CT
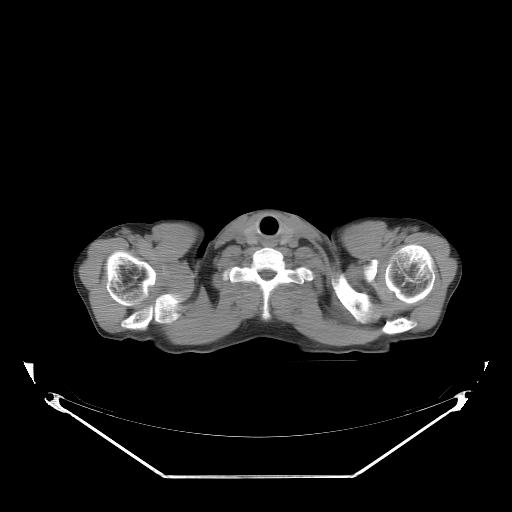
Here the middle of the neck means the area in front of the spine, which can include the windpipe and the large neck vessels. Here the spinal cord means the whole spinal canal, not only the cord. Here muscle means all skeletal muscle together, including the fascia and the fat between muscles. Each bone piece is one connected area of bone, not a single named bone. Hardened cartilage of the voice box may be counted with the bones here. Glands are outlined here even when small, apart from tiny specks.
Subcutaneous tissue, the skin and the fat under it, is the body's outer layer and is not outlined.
thyroid glands 1: (253, 222) (253, 225) (254, 226) (254, 235) (256, 237) (256, 238) (257, 239) (257, 241) (255, 243) (249, 243) (247, 241) (247, 240) (246, 239) (246, 238) (243, 233) (243, 230) (244, 229) (244, 228) (245, 228) (248, 225) (249, 225) (251, 223) (252, 223)
thyroid glands 2: (284, 223) (285, 223) (286, 224) (289, 225) (293, 229) (293, 230) (294, 231) (294, 233) (293, 234) (292, 237) (288, 241) (287, 241) (285, 243) (281, 243) (280, 240) (281, 239) (281, 236) (282, 235) (282, 233) (283, 232) (283, 224)
left arm: (397, 217) (412, 217) (424, 220) (430, 223) (437, 228) (456, 247) (461, 256) (462, 260) (462, 276) (460, 282) (449, 301) (443, 321) (434, 335) (426, 329) (424, 329) (417, 325) (403, 314) (386, 293) (377, 271) (376, 255) (378, 251) (379, 245) (383, 238) (383, 236)
spinal cord: (264, 269) (269, 269) (270, 270) (272, 270) (273, 271) (274, 271) (275, 272) (275, 274) (274, 275) (274, 276) (273, 277) (272, 277) (269, 279) (264, 279) (263, 278) (262, 278) (261, 277) (261, 276) (259, 274) (259, 271) (260, 271) (261, 270) (263, 270)
muscle: (264, 210) (295, 216) (335, 242) (344, 226) (365, 220) (414, 223) (440, 236) (456, 259) (457, 270) (437, 321) (426, 330) (412, 332) (408, 331) (418, 323) (397, 316) (386, 319) (380, 328) (389, 335) (344, 346) (312, 340) (287, 322) (256, 317) (206, 344) (173, 344) (151, 329) (118, 333) (104, 330) (78, 274) (94, 241) (127, 226) (139, 230) (163, 222) (185, 222) (200, 231) (189, 253) (192, 265) (208, 256) (214, 242) (234, 221) with holes at (265, 214) (273, 214) (299, 236) (297, 248) (277, 249) (285, 261) (293, 268) (304, 266) (314, 275) (302, 284) (289, 282) (274, 288) (268, 299) (268, 320) (261, 318) (263, 295) (256, 283) (222, 278) (225, 269) (251, 261) (252, 254) (259, 248) (243, 249) (234, 238) and at (408, 244) (420, 245) (424, 247) (429, 252) (433, 259) (434, 272) (435, 273) (435, 279) (433, 283) (433, 286) (429, 293) (422, 299) (413, 303) (406, 303) (398, 299) (395, 296) (394, 293) (387, 288) (385, 284) (385, 277) (384, 276) (385, 269) (390, 258) (399, 248) and at (116, 250) (129, 251) (134, 256) (138, 257) (141, 260) (147, 262) (154, 269) (156, 273) (155, 283) (153, 285) (151, 285) (148, 287) (148, 295) (147, 297) (139, 303) (133, 306) (126, 306) (120, 304) (110, 296) (106, 288) (106, 272) (105, 271) (106, 260) (108, 256) and at (165, 293) (177, 294) (184, 298) (184, 300) (181, 303) (184, 307) (180, 312) (180, 315) (175, 320) (170, 323) (158, 323) (154, 319) (152, 319) (149, 322) (147, 328) (144, 330) (128, 329) (121, 326) (122, 320) (134, 311) (142, 309) (149, 305) (152, 305) (158, 296) and at (339, 273) (342, 273) (344, 275) (348, 283) (356, 291) (358, 292) (364, 292) (369, 295) (370, 300) (373, 305) (373, 311) (376, 314) (379, 315) (379, 317) (377, 320) (367, 323) (361, 323) (357, 321) (350, 312) (341, 303) (337, 297) (331, 283) (332, 276) (335, 277) and at (371, 259) (376, 259) (378, 261) (378, 263) (377, 264) (377, 272) (376, 273) (376, 274) (375, 275) (375, 277) (373, 280) (373, 282) (374, 283) (374, 285) (373, 285) (371, 283) (369, 283) (368, 282) (367, 282) (366, 281) (366, 280) (364, 277) (364, 265) (367, 264)
middle of the neck: (265, 214) (273, 214) (283, 222) (279, 240) (281, 244) (288, 242) (294, 234) (297, 233) (300, 241) (299, 246) (297, 248) (262, 246) (249, 247) (245, 249) (238, 246) (234, 242) (234, 238) (240, 233) (243, 234) (249, 244) (255, 244) (258, 241) (255, 235) (254, 221)
right arm: (134, 221) (145, 222) (153, 239) (158, 264) (158, 286) (157, 290) (154, 296) (151, 299) (135, 306) (123, 309) (117, 312) (89, 317) (87, 310) (74, 285) (72, 275) (72, 267) (74, 260) (78, 253) (89, 242) (106, 229) (117, 224) (125, 222) (133, 222)
bones 1: (408, 244) (420, 245) (424, 247) (429, 252) (433, 259) (434, 272) (435, 273) (435, 279) (433, 283) (433, 286) (429, 293) (422, 299) (413, 303) (406, 303) (398, 299) (395, 296) (394, 293) (387, 288) (385, 284) (385, 277) (384, 276) (385, 269) (390, 258) (399, 248)
bones 2: (262, 247) (277, 249) (291, 267) (304, 266) (310, 269) (314, 275) (312, 280) (306, 280) (302, 284) (289, 282) (274, 288) (268, 299) (270, 314) (268, 320) (261, 318) (263, 295) (256, 283) (250, 281) (231, 282) (222, 278) (225, 269) (249, 263) (252, 254) with a hole at (264, 269) (269, 269) (270, 270) (272, 270) (273, 271) (274, 271) (275, 272) (275, 274) (274, 275) (274, 276) (273, 277) (272, 277) (269, 279) (264, 279) (263, 278) (262, 278) (261, 277) (261, 276) (259, 274) (259, 271) (260, 271) (261, 270) (263, 270)
bones 3: (116, 250) (129, 251) (134, 256) (138, 257) (141, 260) (147, 262) (154, 269) (156, 273) (155, 283) (153, 285) (151, 285) (148, 287) (148, 295) (147, 297) (139, 303) (133, 306) (126, 306) (120, 304) (110, 296) (106, 288) (106, 272) (105, 271) (106, 260) (108, 256)
bones 4: (165, 293) (177, 294) (184, 298) (184, 300) (181, 303) (184, 307) (180, 312) (180, 315) (175, 320) (170, 323) (158, 323) (154, 319) (152, 319) (149, 322) (147, 328) (144, 330) (128, 329) (121, 326) (122, 320) (134, 311) (142, 309) (149, 305) (152, 305) (158, 296)
bones 5: (339, 273) (342, 273) (344, 275) (348, 283) (356, 291) (358, 292) (364, 292) (369, 295) (370, 300) (373, 305) (373, 311) (376, 314) (379, 315) (379, 317) (377, 320) (367, 323) (361, 323) (357, 321) (350, 312) (341, 303) (337, 297) (331, 283) (332, 276) (335, 277)
bones 6: (401, 316) (405, 317) (410, 320) (413, 320) (415, 321) (417, 324) (414, 327) (409, 329) (407, 331) (404, 331) (403, 332) (401, 332) (400, 333) (396, 333) (395, 334) (385, 334) (381, 331) (381, 328) (385, 323) (386, 320) (391, 320)
bones 7: (371, 259) (376, 259) (378, 261) (378, 263) (377, 264) (377, 272) (376, 273) (376, 274) (375, 275) (375, 277) (373, 280) (373, 282) (374, 283) (374, 285) (373, 285) (371, 283) (369, 283) (368, 282) (367, 282) (366, 281) (366, 280) (364, 277) (364, 265) (367, 264)
torso: (259, 208) (297, 214) (327, 234) (359, 216) (396, 217) (378, 245) (376, 271) (402, 314) (433, 335) (393, 343) (383, 353) (305, 352) (258, 337) (177, 354) (149, 341) (101, 336) (91, 317) (145, 303) (158, 290) (146, 222) (199, 222) (206, 233) (202, 252) (228, 222)